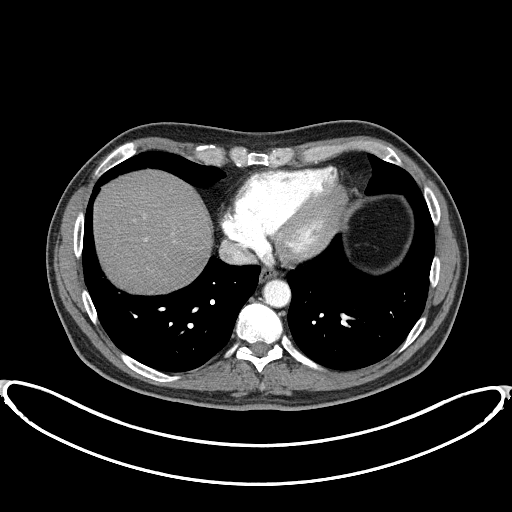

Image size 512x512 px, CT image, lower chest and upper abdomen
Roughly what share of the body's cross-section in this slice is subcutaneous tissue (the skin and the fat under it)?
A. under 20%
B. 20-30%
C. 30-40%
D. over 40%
Answer: A. under 20%
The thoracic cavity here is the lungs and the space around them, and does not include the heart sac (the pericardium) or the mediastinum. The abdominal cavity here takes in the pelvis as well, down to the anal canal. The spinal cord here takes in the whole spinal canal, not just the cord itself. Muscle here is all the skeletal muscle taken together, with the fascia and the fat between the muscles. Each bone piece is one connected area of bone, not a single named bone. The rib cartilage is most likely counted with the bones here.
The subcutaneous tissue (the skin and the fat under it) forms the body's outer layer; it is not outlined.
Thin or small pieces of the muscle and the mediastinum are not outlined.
Outlines (x, y in pixels):
pericardium: (286, 271) (294, 269) (298, 265) (315, 257) (337, 233) (342, 231) (341, 225) (343, 215) (348, 204) (355, 197) (356, 185) (351, 174) (340, 165) (334, 163) (322, 163) (299, 168) (276, 167) (252, 170) (234, 183) (220, 200) (215, 220) (222, 238) (248, 249) (269, 267)
thoracic cavity 1: (337, 370) (374, 363) (403, 341) (423, 310) (434, 253) (433, 225) (422, 191) (406, 170) (369, 153) (372, 176) (365, 193) (401, 193) (414, 211) (414, 237) (403, 263) (381, 277) (363, 274) (347, 261) (337, 234) (315, 258) (287, 275) (292, 340) (310, 358)
thoracic cavity 2: (165, 372) (195, 368) (224, 350) (260, 269) (212, 256) (189, 285) (157, 296) (120, 292) (107, 280) (92, 235) (93, 201) (104, 183) (146, 167) (198, 188) (225, 176) (215, 166) (152, 150) (123, 161) (95, 183) (85, 211) (82, 263) (87, 289) (110, 338) (130, 356)
bones 1: (401, 167) (403, 164) (400, 158) (390, 147) (370, 140) (320, 145) (299, 152) (290, 147) (278, 147) (263, 153) (237, 146) (226, 149) (214, 144) (200, 144) (193, 150) (193, 157) (197, 160) (216, 166) (228, 162) (237, 166) (316, 163) (344, 151) (359, 150) (373, 153)
bones 2: (259, 372) (268, 362) (280, 358) (284, 350) (309, 367) (317, 370) (325, 370) (325, 368) (295, 346) (284, 331) (279, 316) (272, 309) (262, 303) (254, 302) (244, 305) (240, 310) (234, 327) (234, 340) (226, 348) (223, 356) (229, 357) (234, 354) (238, 359) (248, 360), around a hole outlined by (257, 356) (261, 356) (262, 355) (264, 355) (268, 350) (268, 349) (269, 348) (269, 345) (268, 345) (264, 342) (262, 342) (261, 341) (259, 341) (258, 342) (255, 342) (253, 344) (252, 344) (250, 346) (250, 347) (253, 352) (253, 354) (254, 355) (256, 355)
bones 3: (97, 178) (98, 178) (104, 172) (105, 172) (113, 166) (116, 165) (123, 160) (137, 153) (137, 145) (134, 142) (132, 141) (129, 141) (128, 142) (125, 142) (123, 143) (117, 148) (116, 148) (106, 157) (106, 158) (96, 168) (96, 169) (94, 171) (94, 175)
bones 4: (162, 382) (176, 380) (180, 378) (180, 376) (179, 375) (177, 375) (176, 374) (171, 375) (164, 372) (161, 372) (158, 370) (156, 370) (140, 363) (123, 352) (120, 352) (119, 355) (121, 359) (123, 362) (131, 369) (146, 377) (151, 378) (157, 381) (161, 381)
bones 5: (78, 259) (81, 258) (81, 251) (82, 250) (82, 239) (83, 238) (83, 223) (84, 222) (84, 212) (82, 211) (80, 211) (78, 213) (76, 217) (76, 219) (75, 220) (75, 224) (74, 225) (74, 232) (73, 233) (73, 247) (74, 248) (74, 253) (76, 257)
bones 6: (434, 226) (436, 226) (439, 222) (439, 217) (440, 216) (439, 205) (438, 204) (438, 201) (431, 188) (427, 185) (424, 185) (423, 187) (423, 195) (426, 201) (426, 203) (427, 204) (427, 206) (428, 207) (428, 209) (431, 216) (431, 219)
bones 7: (397, 352) (400, 352) (402, 351) (406, 347) (407, 347) (419, 334) (419, 333) (422, 330) (423, 327) (425, 325) (425, 323) (427, 319) (427, 316) (426, 315) (422, 315) (417, 320) (417, 321) (409, 332) (408, 335) (406, 337) (404, 341) (396, 349) (396, 351)
bones 8: (94, 324) (97, 324) (99, 323) (99, 321) (97, 317) (97, 313) (95, 310) (95, 308) (92, 303) (92, 301) (90, 298) (90, 296) (87, 290) (86, 289) (83, 289) (81, 292) (81, 296) (82, 297) (82, 300) (83, 301) (84, 306) (86, 309) (86, 311) (91, 321)
bones 9: (430, 288) (433, 288) (436, 285) (437, 283) (437, 281) (438, 280) (438, 278) (439, 277) (440, 260) (439, 259) (439, 257) (436, 255) (434, 255) (433, 257) (433, 259) (432, 260) (432, 263) (431, 264) (431, 267) (430, 268) (430, 273) (429, 274) (429, 287)
torso: (240, 411) (295, 411) (359, 399) (417, 375) (444, 344) (467, 278) (469, 251) (465, 229) (438, 173) (388, 128) (358, 119) (275, 131) (150, 122) (129, 128) (108, 141) (80, 167) (64, 189) (49, 224) (45, 262) (54, 307) (76, 354) (104, 378) (133, 391) (169, 401)
mediastinum 1: (290, 337) (290, 328) (286, 322) (286, 314) (291, 299) (291, 291) (286, 280) (286, 275) (289, 271) (276, 270) (264, 265) (248, 250) (222, 239) (216, 227) (215, 256) (229, 264) (257, 264) (260, 266) (258, 284) (245, 304) (259, 301) (272, 308) (280, 316) (285, 331)
mediastinum 2: (214, 223) (215, 223) (214, 216) (218, 202) (226, 190) (234, 182) (249, 170) (259, 167) (275, 167) (269, 166) (218, 167) (225, 172) (226, 176) (219, 180) (211, 187) (198, 189) (200, 190) (202, 196) (212, 212) (212, 215) (214, 216)
mediastinum 3: (356, 197) (360, 194) (364, 193) (364, 190) (367, 184) (367, 182) (371, 176) (371, 166) (366, 156) (367, 154) (364, 154) (359, 152) (348, 152) (339, 155) (326, 162) (322, 162) (334, 162) (340, 164) (342, 166) (345, 167) (352, 174) (355, 178) (356, 184) (357, 185)
muscle 1: (234, 397) (241, 397) (256, 390) (267, 394) (292, 395) (296, 390) (334, 390) (363, 384) (406, 361) (429, 339) (446, 316) (454, 297) (460, 270) (460, 252) (450, 226) (447, 206) (435, 183) (409, 156) (391, 143) (358, 135) (278, 146) (290, 146) (299, 151) (310, 146) (354, 139) (381, 142) (398, 154) (404, 168) (420, 188) (422, 190) (424, 184) (430, 186) (439, 201) (441, 216) (439, 224) (434, 227) (434, 254) (440, 257) (441, 268) (437, 285) (433, 289) (429, 288) (422, 313) (428, 316) (426, 325) (402, 352) (397, 353) (395, 350) (374, 364) (350, 371) (328, 368) (317, 371) (297, 362) (286, 351) (280, 359) (268, 363) (261, 373) (250, 362) (238, 360) (234, 355) (224, 358) (223, 351) (195, 369) (168, 373) (181, 376) (173, 382) (157, 382) (131, 370) (122, 362) (118, 355) (121, 351) (101, 325) (94, 325) (85, 311) (80, 296) (81, 290) (86, 288) (81, 259) (75, 257) (72, 247) (75, 217) (80, 210) (85, 210) (97, 179) (93, 171) (109, 153) (98, 162) (71, 196) (55, 243) (53, 265) (60, 298) (81, 330) (109, 361) (133, 377) (171, 388) (221, 390)
muscle 2: (198, 162) (192, 157) (192, 150) (193, 148) (197, 144) (200, 143) (212, 143) (199, 143) (191, 141) (177, 141) (169, 138) (159, 137) (158, 136) (148, 136) (131, 140) (134, 141) (138, 145) (138, 152) (145, 150) (151, 150) (152, 149) (163, 150) (180, 154) (189, 159)
abdominal cavity 1: (138, 295) (169, 293) (193, 281) (202, 271) (209, 258) (213, 255) (213, 242) (215, 237) (215, 224) (213, 223) (213, 216) (211, 215) (211, 212) (199, 190) (172, 174) (150, 168) (128, 172) (110, 180) (100, 188) (93, 206) (94, 243) (98, 261) (104, 275) (120, 291)
abdominal cavity 2: (372, 276) (381, 276) (397, 268) (405, 258) (411, 244) (414, 232) (413, 211) (405, 197) (401, 194) (384, 193) (373, 195) (365, 194) (360, 195) (352, 200) (344, 215) (342, 225) (343, 231) (340, 233) (342, 234) (341, 236) (344, 253) (348, 261) (356, 269)
spinal cord: (257, 356) (261, 356) (262, 355) (264, 355) (268, 350) (268, 349) (269, 348) (269, 345) (268, 345) (264, 342) (262, 342) (261, 341) (259, 341) (258, 342) (255, 342) (253, 344) (252, 344) (250, 346) (250, 347) (253, 352) (253, 354) (254, 355) (256, 355)